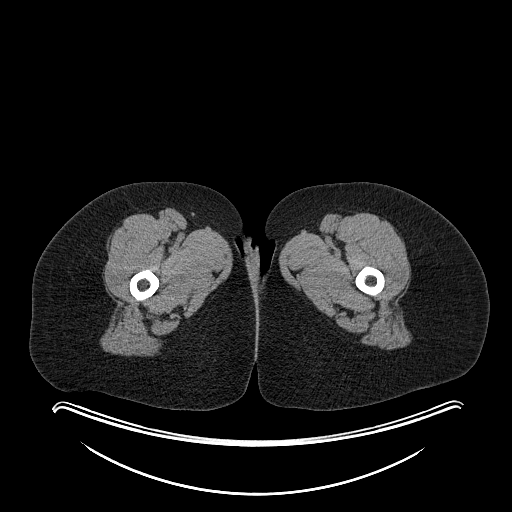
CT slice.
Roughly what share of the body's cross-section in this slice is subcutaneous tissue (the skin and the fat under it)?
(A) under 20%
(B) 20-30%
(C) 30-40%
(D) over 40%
(D) over 40%
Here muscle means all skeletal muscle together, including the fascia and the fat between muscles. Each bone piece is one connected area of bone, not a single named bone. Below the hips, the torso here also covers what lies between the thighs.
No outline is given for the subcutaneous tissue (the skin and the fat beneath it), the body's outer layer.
The bones appear in 2 outlined pieces: piece 1: (143, 269) (150, 269) (157, 276) (157, 277) (159, 279) (159, 286) (156, 290) (156, 291) (151, 296) (143, 300) (141, 300) (139, 301) (137, 300) (131, 294) (130, 292) (130, 290) (129, 289) (129, 281) (130, 280) (130, 278) (135, 273); piece 2: (367, 265) (369, 266) (372, 266) (373, 267) (375, 267) (377, 268) (382, 272) (384, 276) (384, 286) (382, 290) (379, 293) (378, 293) (374, 296) (372, 296) (366, 293) (364, 293) (362, 291) (361, 291) (356, 286) (355, 284) (355, 277) (357, 273) (364, 266) (366, 266). The right leg is outlined by (142, 181) (185, 181) (210, 187) (229, 199) (241, 216) (246, 233) (243, 243) (239, 239) (237, 243) (255, 292) (257, 347) (256, 364) (246, 391) (230, 405) (210, 410) (177, 410) (99, 391) (62, 391) (47, 382) (31, 360) (31, 285) (44, 248) (89, 201) (112, 188). The torso is outlined by (247, 233) (252, 237) (252, 241) (253, 243) (254, 244) (255, 243) (258, 245) (259, 253) (260, 254) (260, 266) (261, 268) (260, 271) (254, 279) (253, 283) (252, 283) (248, 275) (248, 273) (245, 268) (245, 265) (241, 256) (242, 254) (242, 245) (244, 243) (245, 236). The left leg is outlined by (354, 181) (404, 190) (439, 211) (464, 236) (483, 269) (490, 301) (481, 352) (475, 364) (458, 378) (370, 405) (328, 411) (275, 406) (259, 392) (255, 358) (258, 305) (253, 284) (261, 269) (264, 272) (268, 268) (274, 248) (274, 242) (264, 235) (266, 218) (295, 190). The muscle appears in 2 outlined pieces: piece 1: (144, 207) (189, 209) (205, 218) (228, 242) (233, 255) (232, 268) (220, 288) (198, 316) (176, 336) (165, 354) (154, 357) (114, 355) (105, 352) (98, 344) (98, 339) (107, 326) (114, 307) (112, 299) (105, 291) (102, 277) (107, 260) (105, 244) (107, 237) (117, 223), around a hole outlined by (143, 269) (150, 269) (157, 276) (157, 277) (159, 279) (159, 286) (156, 290) (156, 291) (151, 296) (143, 300) (141, 300) (139, 301) (137, 300) (131, 294) (130, 292) (130, 290) (129, 289) (129, 281) (130, 280) (130, 278) (135, 273); piece 2: (332, 209) (365, 209) (375, 212) (387, 218) (403, 239) (411, 267) (411, 278) (408, 289) (399, 302) (404, 312) (405, 324) (416, 337) (413, 344) (407, 348) (398, 352) (384, 352) (351, 343) (281, 275) (278, 258) (285, 243) (300, 230) (317, 224) with a hole at (367, 265) (369, 266) (372, 266) (373, 267) (375, 267) (377, 268) (382, 272) (384, 276) (384, 286) (382, 290) (379, 293) (378, 293) (374, 296) (372, 296) (366, 293) (364, 293) (362, 291) (361, 291) (356, 286) (355, 284) (355, 277) (357, 273) (364, 266) (366, 266).